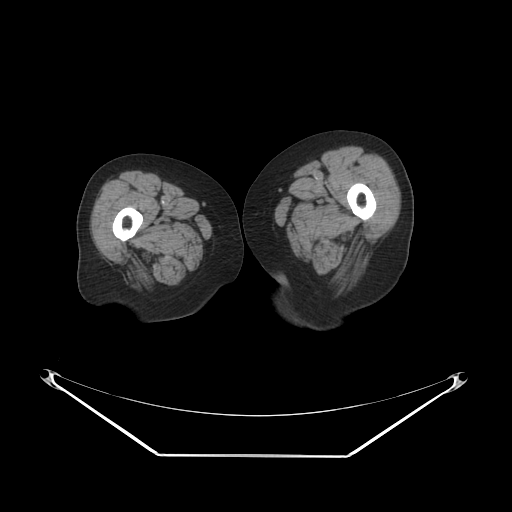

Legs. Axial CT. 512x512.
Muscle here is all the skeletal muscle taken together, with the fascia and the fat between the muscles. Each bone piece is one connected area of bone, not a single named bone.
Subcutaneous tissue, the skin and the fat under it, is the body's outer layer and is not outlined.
Outlined structures:
bones 1: (357, 182) (363, 183) (368, 186) (372, 191) (373, 195) (376, 201) (376, 208) (375, 209) (375, 211) (373, 213) (373, 214) (368, 219) (366, 220) (363, 220) (361, 219) (352, 212) (346, 198) (346, 195) (347, 194) (347, 191) (348, 189) (354, 183) (356, 183)
bones 2: (129, 206) (138, 210) (142, 214) (142, 216) (143, 217) (143, 221) (141, 225) (137, 230) (136, 233) (132, 237) (129, 238) (125, 241) (122, 241) (114, 235) (112, 231) (112, 222) (114, 218) (116, 216) (117, 213) (118, 213) (123, 208) (126, 208)
right leg: (136, 152) (170, 156) (201, 169) (227, 191) (237, 210) (244, 240) (244, 255) (240, 271) (231, 283) (222, 287) (200, 310) (185, 317) (161, 322) (140, 323) (121, 305) (95, 306) (89, 304) (82, 298) (77, 287) (76, 215) (84, 188) (91, 175) (102, 164) (115, 157)
muscle 1: (336, 145) (362, 145) (383, 154) (393, 167) (394, 175) (401, 192) (401, 208) (395, 225) (374, 251) (367, 268) (354, 291) (345, 298) (329, 300) (300, 265) (297, 259) (286, 249) (274, 234) (272, 230) (272, 218) (275, 208) (273, 197) (290, 173) (304, 164) (313, 155), around a hole outlined by (357, 182) (363, 183) (368, 186) (372, 191) (373, 195) (376, 201) (376, 208) (375, 209) (375, 211) (373, 213) (373, 214) (368, 219) (366, 220) (363, 220) (361, 219) (352, 212) (346, 198) (346, 195) (347, 194) (347, 191) (348, 189) (354, 183) (356, 183)
muscle 2: (129, 169) (158, 173) (175, 183) (187, 194) (200, 202) (202, 209) (210, 219) (214, 231) (214, 250) (200, 277) (180, 295) (162, 302) (152, 300) (145, 293) (131, 288) (124, 281) (122, 275) (101, 258) (89, 229) (89, 214) (93, 207) (97, 191) (109, 176) (119, 170); inner edge: (129, 206) (138, 210) (142, 214) (142, 216) (143, 217) (143, 221) (141, 225) (137, 230) (136, 233) (132, 237) (129, 238) (125, 241) (122, 241) (114, 235) (112, 231) (112, 222) (114, 218) (116, 216) (117, 213) (118, 213) (123, 208) (126, 208)
left leg: (332, 129) (368, 132) (380, 137) (395, 150) (412, 186) (414, 223) (406, 267) (394, 288) (376, 303) (352, 314) (343, 326) (332, 331) (317, 332) (291, 327) (280, 321) (271, 311) (266, 292) (274, 281) (253, 256) (244, 239) (240, 220) (250, 185) (274, 156) (306, 136)